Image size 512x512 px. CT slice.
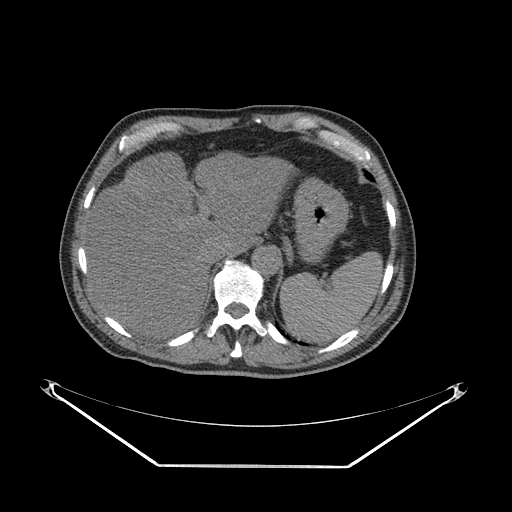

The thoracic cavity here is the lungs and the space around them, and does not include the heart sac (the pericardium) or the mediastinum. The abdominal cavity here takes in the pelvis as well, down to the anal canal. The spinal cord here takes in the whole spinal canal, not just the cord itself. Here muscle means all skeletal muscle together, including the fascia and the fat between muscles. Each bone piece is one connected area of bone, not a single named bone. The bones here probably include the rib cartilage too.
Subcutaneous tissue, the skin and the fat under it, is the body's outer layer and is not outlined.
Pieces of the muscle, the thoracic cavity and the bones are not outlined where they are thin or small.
The torso is outlined by (253, 104) (301, 104) (330, 109) (355, 120) (379, 142) (404, 193) (415, 230) (416, 271) (404, 314) (385, 339) (369, 353) (336, 368) (289, 378) (186, 374) (108, 353) (90, 337) (74, 316) (59, 269) (62, 226) (81, 174) (110, 128) (128, 113) (151, 107) (236, 108). The abdominal cavity is outlined by (242, 121) (316, 135) (360, 162) (363, 175) (377, 183) (389, 252) (373, 307) (328, 344) (290, 339) (269, 315) (280, 254) (258, 242) (223, 261) (212, 279) (211, 302) (191, 329) (165, 341) (131, 333) (100, 307) (90, 287) (84, 243) (96, 190) (125, 155) (143, 144). The mediastinum is outlined by (258, 243) (268, 244) (275, 248) (279, 254) (279, 273) (276, 280) (276, 283) (272, 291) (269, 313) (268, 313) (266, 303) (262, 299) (264, 296) (264, 279) (261, 274) (249, 264) (239, 259) (232, 258) (234, 256) (236, 256) (247, 250) (248, 248) (253, 246) (254, 244). The spinal cord is outlined by (233, 302) (234, 302) (235, 303) (240, 303) (241, 304) (244, 305) (247, 308) (247, 312) (240, 317) (238, 317) (237, 318) (235, 318) (234, 317) (233, 317) (229, 313) (228, 313) (225, 310) (226, 307) (228, 305) (229, 305) (231, 303) (232, 303). The bones appear in 12 outlined pieces: piece 1: (226, 259) (239, 260) (260, 274) (263, 279) (263, 296) (257, 306) (257, 315) (263, 322) (268, 319) (289, 339) (289, 344) (280, 343) (268, 334) (261, 336) (247, 324) (237, 331) (228, 324) (223, 324) (211, 337) (206, 335) (204, 331) (216, 313) (213, 279) with a hole at (233, 302) (234, 302) (235, 303) (240, 303) (241, 304) (244, 305) (247, 308) (247, 312) (240, 317) (238, 317) (237, 318) (235, 318) (234, 317) (233, 317) (229, 313) (228, 313) (225, 310) (226, 307) (228, 305) (229, 305) (231, 303) (232, 303); piece 2: (153, 121) (172, 121) (180, 124) (183, 127) (183, 130) (179, 131) (177, 133) (174, 133) (170, 131) (162, 132) (152, 139) (141, 142) (137, 147) (134, 147) (127, 154) (125, 154) (124, 152) (119, 152) (118, 151) (118, 145) (122, 135) (130, 134) (138, 127); piece 3: (318, 129) (327, 129) (332, 132) (339, 134) (354, 142) (356, 144) (365, 148) (368, 151) (370, 155) (371, 165) (369, 169) (367, 169) (364, 167) (363, 164) (360, 161) (355, 159) (351, 155) (342, 149) (340, 149) (338, 147) (336, 147) (318, 137) (316, 134) (316, 131); piece 4: (356, 327) (357, 327) (359, 329) (359, 331) (357, 335) (346, 344) (336, 349) (334, 349) (330, 351) (327, 351) (326, 352) (323, 352) (322, 353) (319, 353) (318, 352) (318, 350) (320, 348) (325, 347) (327, 345) (333, 342) (343, 334) (346, 333) (348, 331); piece 5: (302, 116) (307, 116) (308, 117) (310, 117) (311, 118) (313, 118) (315, 119) (318, 124) (318, 127) (317, 128) (310, 128) (309, 129) (300, 129) (299, 130) (296, 130) (295, 129) (293, 129) (293, 127) (292, 126) (292, 122) (295, 119) (299, 117) (301, 117); piece 6: (196, 327) (198, 327) (199, 329) (198, 331) (194, 335) (194, 336) (189, 341) (185, 343) (180, 344) (179, 345) (176, 345) (175, 346) (168, 346) (165, 344) (166, 341) (172, 338) (174, 338) (177, 336) (179, 336) (181, 334) (183, 334) (187, 332) (189, 330) (191, 330); piece 7: (389, 261) (393, 264) (393, 273) (392, 274) (392, 276) (391, 277) (390, 282) (386, 290) (382, 294) (381, 294) (380, 293) (380, 289) (381, 288) (381, 284) (382, 283) (382, 280) (383, 279) (383, 276) (384, 275) (384, 271) (385, 270) (385, 268) (386, 267) (387, 262); piece 8: (105, 315) (107, 315) (108, 316) (111, 317) (114, 320) (115, 320) (117, 322) (118, 322) (128, 332) (129, 332) (131, 334) (131, 337) (127, 337) (126, 336) (121, 334) (119, 332) (116, 331) (112, 327) (111, 327) (105, 321) (105, 320) (104, 319) (104, 316); piece 9: (386, 199) (388, 199) (389, 200) (389, 201) (391, 203) (391, 204) (394, 208) (394, 212) (395, 213) (395, 227) (394, 229) (390, 229) (390, 226) (389, 225) (389, 222) (388, 221) (388, 217) (386, 213) (386, 209) (385, 208) (385, 205) (384, 204) (385, 202) (385, 200); piece 10: (79, 246) (82, 246) (85, 252) (85, 256) (86, 257) (86, 265) (87, 266) (87, 273) (86, 274) (84, 274) (83, 273) (79, 265) (79, 262) (78, 261) (78, 256) (77, 255) (77, 250); piece 11: (92, 186) (94, 186) (96, 189) (95, 190) (95, 192) (94, 193) (94, 195) (93, 196) (93, 197) (91, 200) (91, 202) (90, 203) (90, 205) (89, 206) (89, 207) (88, 208) (84, 208) (84, 200) (85, 199) (85, 197) (86, 196) (86, 195) (87, 194) (88, 191); piece 12: (235, 340) (238, 340) (238, 341) (239, 342) (239, 343) (240, 344) (240, 345) (241, 346) (241, 356) (240, 357) (238, 357) (237, 358) (235, 358) (234, 357) (232, 357) (230, 355) (230, 353) (231, 352) (231, 351) (233, 349) (233, 348) (234, 347) (234, 342) (235, 341). The muscle appears in 3 outlined pieces: piece 1: (291, 112) (307, 112) (315, 114) (323, 117) (346, 129) (357, 139) (367, 145) (372, 150) (378, 158) (392, 185) (397, 199) (398, 208) (400, 211) (400, 215) (401, 216) (401, 238) (403, 240) (403, 246) (404, 247) (403, 251) (404, 255) (404, 286) (399, 303) (396, 309) (391, 315) (366, 340) (363, 341) (352, 349) (331, 359) (328, 359) (319, 363) (312, 364) (309, 366) (299, 367) (298, 368) (276, 368) (269, 366) (259, 366) (258, 367) (256, 366) (250, 366) (247, 365) (242, 359) (238, 358) (237, 359) (232, 359) (226, 364) (214, 364) (208, 362) (192, 363) (191, 364) (180, 364) (159, 358) (150, 357) (125, 348) (112, 340) (92, 323) (84, 314) (78, 305) (73, 291) (73, 287) (72, 286) (72, 265) (71, 264) (71, 252) (70, 251) (71, 249) (71, 241) (73, 238) (74, 223) (76, 219) (76, 213) (77, 212) (79, 199) (81, 197) (85, 188) (86, 183) (89, 180) (95, 167) (99, 162) (101, 157) (115, 138) (136, 121) (160, 115) (191, 116) (192, 117) (202, 117) (203, 118) (228, 118) (229, 117) (240, 117) (244, 118) (248, 117) (251, 114) (254, 113) (283, 114), around holes outlined by (302, 116) (315, 119) (318, 129) (327, 129) (365, 148) (370, 155) (368, 170) (383, 201) (388, 199) (394, 208) (395, 227) (388, 233) (387, 256) (393, 273) (386, 290) (378, 294) (373, 307) (357, 324) (357, 335) (322, 353) (318, 350) (325, 345) (302, 345) (291, 339) (283, 344) (268, 334) (259, 335) (247, 324) (237, 331) (223, 324) (208, 337) (204, 331) (216, 313) (214, 297) (193, 326) (198, 331) (179, 345) (168, 346) (165, 341) (133, 333) (127, 337) (111, 327) (94, 298) (88, 274) (80, 268) (77, 250) (85, 242) (85, 197) (124, 157) (125, 153) (118, 151) (121, 136) (153, 121) (172, 121) (183, 127) (177, 133) (162, 132) (159, 138) (219, 131) (255, 118) (274, 131) (289, 132) (296, 130) (292, 122) and by (235, 340) (238, 340) (238, 341) (239, 342) (239, 343) (240, 344) (240, 345) (241, 346) (241, 356) (240, 357) (238, 357) (237, 358) (235, 358) (234, 357) (232, 357) (230, 355) (230, 353) (231, 352) (231, 351) (233, 349) (233, 348) (234, 347) (234, 342) (235, 341); piece 2: (261, 300) (262, 300) (265, 303) (265, 305) (266, 306) (266, 309) (267, 310) (267, 313) (269, 316) (269, 318) (271, 319) (271, 321) (268, 318) (266, 318) (264, 320) (264, 321) (263, 321) (258, 315) (258, 312) (257, 310) (258, 309) (258, 306) (259, 305) (259, 303); piece 3: (149, 140) (152, 140) (151, 140) (150, 141) (148, 141) (145, 143) (143, 143) (142, 144) (142, 145) (141, 146) (140, 146) (138, 148) (137, 148) (134, 150) (132, 150) (134, 148) (137, 148) (138, 147) (138, 146) (141, 143) (143, 143) (144, 142) (146, 142). The thoracic cavity appears in 2 outlined pieces: piece 1: (361, 163) (362, 164) (363, 167) (367, 170) (368, 170) (371, 173) (371, 174) (374, 177) (374, 178) (376, 180) (376, 181) (373, 181) (372, 180) (369, 179) (366, 176) (365, 176) (364, 175) (364, 174) (362, 172) (362, 171) (361, 170) (361, 168) (360, 167) (360, 164); piece 2: (276, 326) (277, 326) (282, 331) (283, 331) (283, 332) (289, 338) (288, 338) (285, 335) (284, 335) (278, 329) (278, 328).